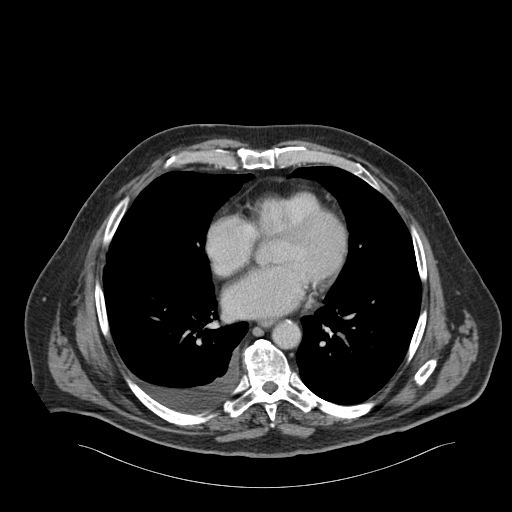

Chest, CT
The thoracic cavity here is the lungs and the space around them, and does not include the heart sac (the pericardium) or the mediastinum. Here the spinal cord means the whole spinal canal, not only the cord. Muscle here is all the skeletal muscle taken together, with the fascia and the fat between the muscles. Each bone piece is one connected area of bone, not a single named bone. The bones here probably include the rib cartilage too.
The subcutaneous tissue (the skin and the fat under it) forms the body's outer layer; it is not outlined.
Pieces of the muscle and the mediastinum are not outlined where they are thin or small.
Outlines (x, y in pixels):
pericardium: (270, 176) (313, 182) (327, 190) (336, 199) (344, 216) (348, 232) (346, 258) (335, 281) (326, 292) (321, 305) (313, 312) (303, 315) (297, 313) (284, 315) (261, 321) (234, 319) (226, 316) (218, 304) (209, 261) (205, 251) (206, 234) (217, 212) (248, 186) (261, 178)
bones 1: (258, 339) (266, 339) (279, 349) (291, 369) (319, 397) (339, 405) (371, 400) (376, 404) (361, 416) (338, 418) (317, 407) (304, 412) (280, 399) (276, 402) (274, 427) (270, 426) (263, 402) (254, 403) (231, 417) (223, 404) (237, 396) (232, 392) (247, 372) (243, 351) with a hole at (269, 381) (271, 381) (272, 382) (273, 382) (275, 384) (276, 384) (276, 385) (277, 386) (276, 389) (275, 390) (274, 390) (271, 393) (269, 393) (268, 392) (265, 391) (262, 388) (263, 385) (266, 382) (268, 382)
bones 2: (298, 145) (360, 163) (377, 181) (381, 192) (351, 172) (323, 163) (308, 162) (268, 169) (239, 167) (235, 170) (215, 169) (213, 165) (207, 163) (187, 163) (167, 171) (163, 167) (170, 156) (183, 150) (198, 151) (220, 148) (234, 154) (240, 147) (262, 151) (268, 148)
bones 3: (125, 376) (130, 378) (134, 383) (137, 384) (156, 401) (168, 408) (179, 412) (189, 414) (197, 414) (205, 411) (206, 414) (214, 413) (215, 416) (203, 423) (198, 423) (192, 425) (181, 426) (174, 423) (171, 423) (155, 414) (146, 407) (135, 396) (126, 383) (124, 379)
bones 4: (127, 195) (129, 196) (130, 198) (128, 206) (123, 216) (121, 218) (108, 246) (106, 247) (104, 246) (102, 243) (102, 238) (103, 237) (103, 234) (104, 233) (104, 231) (106, 227) (106, 224) (108, 221) (109, 216) (115, 206) (118, 203) (118, 202) (122, 198)
bones 5: (412, 224) (415, 227) (420, 237) (423, 246) (424, 253) (425, 254) (425, 261) (427, 267) (427, 278) (426, 280) (423, 282) (421, 281) (418, 273) (417, 263) (415, 257) (415, 252) (414, 251) (412, 238) (409, 229) (410, 225)
bones 6: (96, 280) (98, 280) (100, 282) (103, 292) (104, 301) (105, 302) (105, 309) (106, 310) (107, 320) (109, 326) (109, 332) (110, 333) (110, 335) (107, 336) (104, 336) (102, 334) (98, 321) (98, 317) (97, 316) (97, 311) (95, 305) (95, 296) (94, 295) (94, 286)
bones 7: (423, 309) (426, 309) (427, 311) (427, 317) (426, 318) (424, 331) (423, 332) (421, 340) (415, 351) (415, 353) (413, 355) (410, 361) (409, 362) (407, 362) (405, 357) (409, 347) (409, 344) (410, 343) (415, 326) (417, 323) (417, 320) (419, 317) (420, 312)
bones 8: (430, 359) (435, 359) (436, 360) (436, 366) (433, 370) (433, 371) (431, 373) (431, 374) (427, 378) (427, 379) (425, 381) (425, 382) (422, 385) (418, 385) (415, 382) (415, 381) (414, 380) (414, 375) (417, 371) (417, 370) (426, 361) (427, 361)
mediastinum 1: (297, 314) (303, 316) (300, 319) (302, 338) (295, 353) (295, 363) (291, 367) (285, 354) (266, 338) (256, 339) (240, 353) (238, 346) (247, 333) (248, 324) (247, 322) (244, 320) (240, 320) (233, 322) (231, 320) (226, 320) (225, 317) (234, 320) (246, 320) (261, 322) (263, 320) (273, 320)
mediastinum 2: (308, 163) (322, 165) (297, 167) (288, 175) (288, 177) (289, 178) (312, 179) (325, 188) (307, 179) (288, 178) (270, 175) (261, 177) (248, 185) (218, 211) (241, 189) (246, 181) (254, 176) (251, 173) (209, 173) (178, 169) (187, 164) (207, 164) (213, 166) (215, 170) (235, 171) (239, 168) (268, 170)
torso: (190, 123) (330, 125) (372, 141) (411, 166) (436, 196) (500, 311) (501, 340) (481, 394) (465, 407) (403, 431) (322, 453) (283, 458) (190, 452) (148, 441) (90, 416) (67, 411) (51, 412) (31, 380) (24, 334) (24, 314) (30, 291) (79, 209) (112, 167) (145, 138)
muscle 1: (293, 139) (354, 154) (397, 187) (437, 260) (449, 321) (461, 324) (464, 308) (477, 326) (476, 359) (461, 382) (429, 403) (367, 426) (317, 428) (304, 438) (272, 428) (258, 437) (223, 443) (159, 430) (61, 390) (47, 362) (53, 318) (60, 301) (61, 330) (70, 327) (69, 300) (89, 243) (112, 209) (101, 238) (107, 248) (102, 284) (96, 279) (93, 286) (97, 321) (101, 334) (111, 336) (129, 374) (123, 377) (128, 388) (155, 415) (184, 427) (207, 422) (216, 414) (206, 413) (222, 405) (236, 418) (263, 403) (274, 428) (280, 400) (304, 413) (317, 408) (338, 419) (361, 417) (377, 404) (368, 400) (405, 358) (411, 361) (425, 331) (424, 246) (416, 227) (412, 223) (408, 228) (360, 162) (302, 144) (270, 147); inner edge: (430, 359) (435, 359) (436, 360) (436, 366) (433, 370) (433, 371) (431, 373) (431, 374) (427, 378) (427, 379) (425, 381) (425, 382) (422, 385) (418, 385) (415, 382) (415, 381) (414, 380) (414, 375) (417, 371) (417, 370) (426, 361) (427, 361)
muscle 2: (221, 137) (230, 139) (237, 139) (240, 141) (246, 142) (248, 143) (249, 144) (253, 148) (254, 148) (267, 148) (258, 150) (257, 149) (255, 149) (251, 147) (240, 146) (235, 150) (234, 153) (228, 149) (220, 147) (198, 150) (183, 149) (173, 153) (164, 161) (162, 167) (166, 171) (152, 179) (137, 194) (129, 205) (131, 200) (129, 195) (127, 194) (125, 195) (118, 201) (118, 199) (115, 197) (116, 193) (124, 184) (135, 176) (145, 171) (154, 160) (169, 150) (178, 146) (187, 146) (208, 139)
thoracic cavity 1: (175, 169) (253, 176) (214, 213) (204, 242) (217, 309) (226, 321) (244, 321) (247, 324) (246, 333) (237, 346) (246, 372) (231, 392) (235, 397) (226, 399) (214, 409) (197, 413) (179, 411) (162, 404) (132, 380) (110, 332) (102, 287) (106, 252) (128, 207) (152, 180)
thoracic cavity 2: (323, 165) (351, 173) (392, 204) (409, 230) (421, 282) (420, 311) (403, 360) (377, 392) (355, 404) (339, 404) (319, 396) (292, 369) (303, 338) (301, 319) (312, 316) (324, 305) (323, 300) (342, 270) (348, 254) (349, 232) (337, 199) (312, 178) (289, 177) (297, 168)
spinal cord: (269, 381) (271, 381) (272, 382) (273, 382) (275, 384) (276, 384) (276, 385) (277, 386) (276, 389) (275, 390) (274, 390) (271, 393) (269, 393) (268, 392) (265, 391) (262, 388) (263, 385) (266, 382) (268, 382)